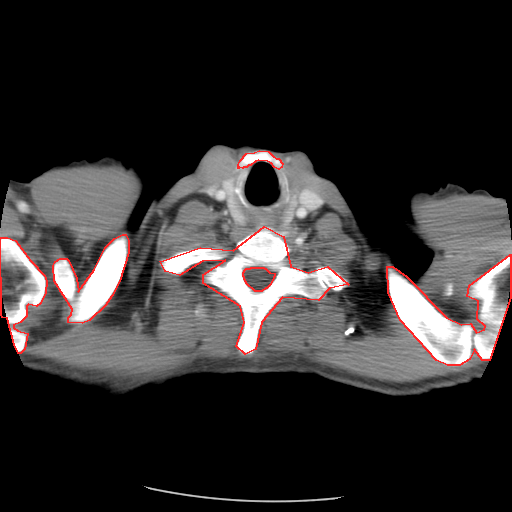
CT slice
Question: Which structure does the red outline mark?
Answer: red: bones.
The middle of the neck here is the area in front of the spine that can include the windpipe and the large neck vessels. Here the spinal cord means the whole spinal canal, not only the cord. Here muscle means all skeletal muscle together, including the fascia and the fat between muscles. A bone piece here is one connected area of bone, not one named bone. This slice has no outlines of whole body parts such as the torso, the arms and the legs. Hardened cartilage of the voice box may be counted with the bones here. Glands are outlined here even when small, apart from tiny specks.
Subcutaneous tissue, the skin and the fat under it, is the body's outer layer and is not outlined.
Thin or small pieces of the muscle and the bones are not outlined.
Outlined structures:
bones 1: [[264,226],[283,236],[290,266],[308,272],[327,266],[348,284],[329,288],[318,300],[282,297],[261,322],[255,349],[245,354],[236,346],[244,322],[240,306],[203,283],[203,274],[225,260],[202,261],[179,275],[165,271],[160,261],[200,247],[233,250]] with a hole at [[251,267],[263,267],[264,268],[265,268],[269,272],[274,273],[274,276],[273,277],[270,284],[266,288],[265,288],[261,291],[255,291],[246,283],[246,282],[244,279],[244,277],[243,276],[243,272],[244,271],[244,270],[246,268],[250,268]]
bones 2: [[510,254],[510,297],[489,360],[482,360],[474,349],[469,359],[459,365],[447,365],[436,360],[400,320],[388,292],[387,266],[392,266],[406,276],[446,317],[461,324],[470,323],[476,332],[484,329],[485,326],[477,319],[478,301],[467,296],[469,285]]
bones 3: [[122,234],[125,234],[128,240],[128,252],[119,281],[111,296],[105,305],[89,320],[82,323],[68,322],[68,317],[71,314],[72,309],[54,281],[53,265],[55,261],[60,258],[66,258],[68,260],[76,278],[78,291],[94,269],[105,247],[114,238]]
bones 4: [[0,237],[7,237],[15,240],[30,260],[44,275],[46,281],[45,292],[40,303],[36,306],[28,304],[26,306],[26,316],[20,322],[13,325],[13,327],[17,330],[27,333],[24,349],[20,353],[18,353],[14,344],[7,318],[2,317],[1,315]]
bones 5: [[259,150],[268,151],[273,156],[276,158],[278,158],[282,163],[281,167],[278,169],[274,167],[271,163],[267,161],[258,160],[255,161],[250,165],[248,165],[246,167],[243,167],[242,168],[239,167],[238,168],[238,164],[240,160],[246,153],[254,152]]
middle of the neck: [[258,161],[271,164],[288,178],[288,202],[279,217],[282,228],[292,221],[304,187],[315,190],[322,199],[321,212],[285,235],[264,225],[238,231],[225,227],[198,191],[222,184],[229,191],[231,216],[243,223],[247,215],[234,189],[234,176],[237,169]]
muscle 1: [[218,146],[253,151],[234,175],[197,194],[229,231],[257,229],[233,249],[178,250],[159,266],[179,276],[193,265],[224,260],[202,274],[202,283],[239,306],[235,346],[241,354],[254,352],[262,322],[282,298],[318,301],[349,284],[327,265],[308,271],[288,263],[292,249],[283,237],[324,208],[318,192],[282,173],[272,154],[298,152],[335,187],[395,267],[385,268],[387,292],[409,333],[447,366],[465,364],[473,350],[487,364],[394,383],[314,369],[289,355],[201,358],[171,375],[130,382],[85,378],[45,359],[21,358],[28,333],[14,325],[28,305],[41,303],[47,281],[15,239],[0,236],[7,187],[22,194],[53,169],[120,165],[139,182],[128,224],[133,230]] with holes at [[122,234],[125,234],[128,240],[128,252],[119,281],[111,296],[105,305],[89,320],[82,323],[68,322],[68,317],[71,314],[72,309],[54,281],[53,265],[55,261],[60,258],[66,258],[68,260],[76,278],[78,291],[94,269],[105,247],[114,238]] and at [[352,326],[353,327],[354,327],[354,330],[353,331],[353,332],[352,332],[351,333],[350,333],[348,335],[346,335],[344,333],[345,332],[345,331],[348,328],[349,328],[350,327],[351,327]]
muscle 2: [[452,193],[483,194],[500,199],[506,204],[511,223],[511,253],[470,282],[466,291],[470,300],[477,301],[476,319],[484,326],[476,331],[470,322],[461,323],[446,316],[409,278],[419,276],[433,259],[432,250],[416,232],[413,200],[416,197],[444,196]]; inner edge: [[449,281],[450,281],[451,282],[452,282],[453,283],[453,293],[450,296],[449,296],[448,297],[446,297],[445,296],[444,296],[443,295],[443,290],[444,289],[444,286],[445,285],[445,284],[447,282],[448,282]]
thyroid glands 1: [[227,176],[231,177],[233,176],[233,180],[234,181],[234,187],[233,189],[236,193],[241,203],[241,205],[243,206],[242,207],[246,215],[246,220],[243,222],[236,221],[232,216],[230,208],[230,203],[229,202],[231,195],[230,191],[222,183],[223,180]]
thyroid glands 2: [[289,179],[295,180],[299,184],[301,188],[297,195],[297,204],[293,210],[292,219],[289,223],[286,224],[283,227],[282,227],[281,226],[281,219],[280,218],[281,216],[281,212],[287,207],[288,203],[289,202],[289,198],[290,197],[290,187],[289,186]]
spinal cord: [[251,267],[263,267],[264,268],[265,268],[269,272],[274,273],[274,276],[273,277],[270,284],[266,288],[265,288],[261,291],[255,291],[246,283],[246,282],[244,279],[244,277],[243,276],[243,272],[244,271],[244,270],[246,268],[250,268]]